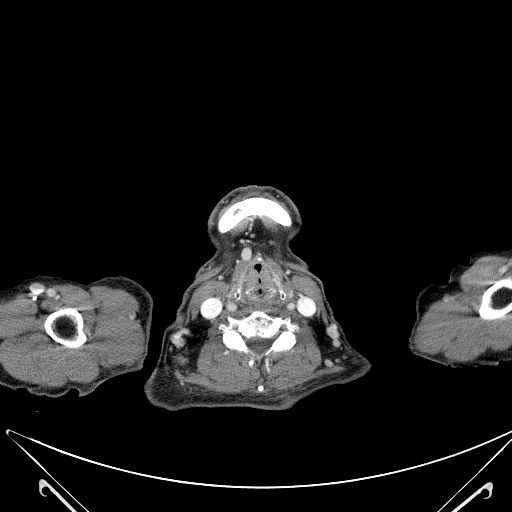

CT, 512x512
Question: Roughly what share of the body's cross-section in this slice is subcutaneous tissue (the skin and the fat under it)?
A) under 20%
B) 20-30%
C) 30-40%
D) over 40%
Answer: B) 20-30%
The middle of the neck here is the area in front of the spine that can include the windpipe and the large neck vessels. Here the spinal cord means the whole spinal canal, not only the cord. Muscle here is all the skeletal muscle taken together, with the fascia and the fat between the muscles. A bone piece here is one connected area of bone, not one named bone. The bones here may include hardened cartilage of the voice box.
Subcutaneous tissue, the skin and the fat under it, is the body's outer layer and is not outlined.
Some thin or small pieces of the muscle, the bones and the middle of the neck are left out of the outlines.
{"muscle":[{"outer":[[249,216],[265,216],[284,227],[291,227],[289,232],[285,233],[280,241],[282,255],[286,260],[305,272],[317,284],[322,296],[325,311],[339,332],[349,358],[350,366],[345,370],[313,378],[294,389],[281,390],[268,395],[260,393],[245,397],[206,396],[186,391],[172,383],[166,374],[165,363],[167,338],[178,329],[178,325],[187,309],[191,296],[200,281],[219,264],[222,259],[225,244],[219,233],[224,234],[228,232]],"holes":[[[254,310],[262,310],[270,315],[283,318],[289,316],[291,321],[299,327],[294,332],[296,341],[290,349],[270,354],[269,372],[258,363],[251,367],[249,356],[244,352],[229,349],[222,340],[222,331],[219,328],[221,323],[228,323],[228,315],[240,318]],[[259,256],[262,258],[263,262],[268,267],[271,268],[280,278],[283,284],[283,287],[287,293],[288,297],[287,299],[279,303],[263,305],[251,305],[250,304],[238,305],[233,303],[232,288],[236,283],[236,280],[240,272],[250,262],[252,262],[256,257]]]},{"outer":[[34,282],[66,283],[85,290],[95,285],[108,285],[131,292],[139,301],[136,318],[143,331],[143,350],[139,358],[129,365],[119,364],[102,369],[96,378],[87,383],[68,381],[58,387],[43,387],[10,375],[0,363],[0,301],[27,292],[26,286]],"hole":[[62,307],[73,307],[76,308],[83,317],[84,320],[84,331],[86,334],[87,340],[82,345],[82,346],[78,348],[70,348],[69,347],[66,347],[62,344],[55,341],[49,335],[48,335],[44,329],[43,324],[46,317],[50,313],[56,311]]},[[486,255],[511,256],[511,276],[489,282],[480,296],[476,312],[482,320],[491,321],[503,319],[511,311],[511,346],[502,351],[488,349],[469,361],[452,360],[442,353],[430,353],[419,348],[415,336],[424,311],[432,301],[455,290],[460,274],[477,258]],[[248,191],[260,191],[261,192],[268,192],[270,193],[285,203],[289,209],[290,214],[288,210],[285,207],[274,199],[271,199],[264,196],[250,196],[238,200],[228,206],[219,216],[216,224],[216,218],[219,211],[234,197],[239,194]]],"bones":[{"outer":[[254,310],[262,310],[270,315],[283,318],[289,316],[291,321],[299,327],[294,332],[296,341],[290,349],[270,354],[269,372],[258,363],[251,367],[249,356],[244,352],[229,349],[222,340],[222,331],[219,328],[221,323],[228,323],[228,315],[240,318]],"hole":[[254,337],[259,337],[262,339],[270,339],[271,338],[273,338],[273,340],[272,341],[271,344],[267,349],[266,349],[263,352],[262,352],[261,353],[256,353],[247,345],[247,344],[246,343],[246,341],[245,340],[245,339],[249,339],[250,338],[253,338]]},[[250,197],[264,197],[276,201],[287,210],[291,217],[292,225],[290,227],[284,226],[265,215],[261,216],[258,215],[249,215],[247,217],[243,218],[235,226],[228,231],[224,233],[220,233],[217,229],[217,223],[220,216],[224,211],[228,207],[236,202]],[[62,307],[73,307],[76,308],[83,317],[84,320],[84,331],[86,334],[87,340],[82,345],[82,346],[78,348],[70,348],[69,347],[66,347],[62,344],[55,341],[49,335],[48,335],[44,329],[43,324],[46,317],[50,313],[56,311]],[[506,277],[511,277],[511,310],[509,311],[503,318],[492,319],[491,320],[485,320],[484,319],[482,319],[479,316],[477,312],[477,308],[479,306],[479,304],[480,303],[480,299],[483,292],[490,285],[491,283],[490,282],[493,282],[494,281],[496,281]],[[272,271],[273,271],[275,273],[276,273],[280,278],[280,282],[282,285],[282,288],[285,292],[285,297],[284,298],[283,298],[282,297],[282,296],[279,292],[279,288],[276,284],[276,282],[274,280],[274,278],[273,277],[273,274],[272,273]]],"torso":[[[170,323],[170,340],[173,350],[188,379],[195,396],[202,402],[205,403],[207,405],[212,408],[214,408],[210,408],[209,407],[193,407],[177,411],[168,411],[164,409],[157,408],[151,405],[147,401],[144,394],[142,392],[142,385],[152,372],[157,362],[161,348],[161,343],[164,330],[167,325]],[[347,339],[348,342],[352,347],[353,347],[358,352],[367,358],[371,362],[372,364],[372,368],[367,375],[359,379],[357,379],[354,381],[352,381],[349,383],[347,383],[343,385],[334,385],[336,380],[339,377],[340,371],[345,362],[346,352],[347,351]]],"head_and_neck":[[[249,184],[273,186],[287,195],[297,207],[302,227],[290,242],[290,247],[322,281],[333,314],[346,338],[344,362],[334,384],[283,410],[215,408],[202,401],[196,396],[171,340],[171,323],[182,296],[198,269],[214,252],[206,234],[208,216],[229,191]]],"middle_of_the_neck":[{"outer":[[254,260],[260,263],[262,263],[263,261],[268,267],[273,270],[271,271],[273,280],[278,288],[279,294],[283,299],[286,297],[286,296],[286,295],[286,292],[285,291],[284,290],[283,288],[281,280],[283,287],[286,291],[288,297],[285,301],[263,305],[238,305],[233,303],[232,288],[236,283],[240,272],[250,262]],"hole":[[242,273],[243,273],[243,275],[242,276],[242,281],[241,282],[241,287],[240,288],[240,295],[239,296],[239,298],[237,299],[234,296],[234,295],[236,292],[236,289],[237,288],[237,286],[239,282],[239,278],[241,276],[241,274]]}],"left_arm":[[[506,249],[511,249],[511,361],[501,361],[496,366],[466,366],[461,369],[456,369],[428,360],[412,353],[408,347],[408,337],[416,319],[415,301],[418,293],[429,284],[445,284],[449,279],[449,274],[452,268],[458,264],[467,264],[471,254],[486,250]]],"spinal_cord":[[[254,337],[259,337],[262,339],[270,339],[271,338],[273,338],[273,340],[272,341],[271,344],[267,349],[266,349],[263,352],[262,352],[261,353],[256,353],[247,345],[247,344],[246,343],[246,341],[245,340],[245,339],[249,339],[250,338],[253,338]]],"right_arm":[[[38,275],[59,276],[80,283],[88,283],[105,276],[119,275],[131,278],[143,286],[153,299],[153,310],[148,350],[142,369],[112,377],[83,396],[79,396],[76,389],[71,389],[61,396],[52,398],[31,394],[23,388],[13,389],[1,385],[0,290]]]}